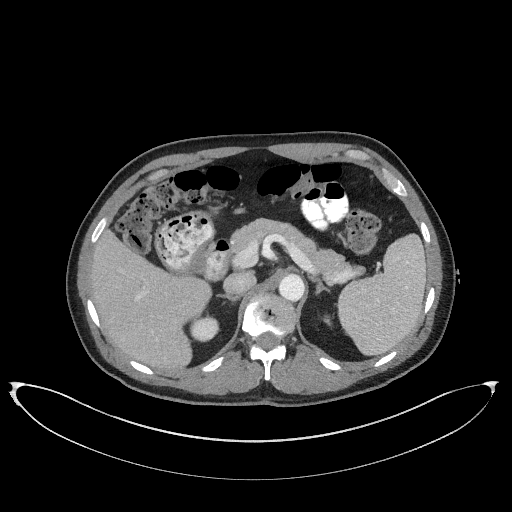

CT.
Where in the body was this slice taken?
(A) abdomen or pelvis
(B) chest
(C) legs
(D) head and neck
Answer: (A) abdomen or pelvis
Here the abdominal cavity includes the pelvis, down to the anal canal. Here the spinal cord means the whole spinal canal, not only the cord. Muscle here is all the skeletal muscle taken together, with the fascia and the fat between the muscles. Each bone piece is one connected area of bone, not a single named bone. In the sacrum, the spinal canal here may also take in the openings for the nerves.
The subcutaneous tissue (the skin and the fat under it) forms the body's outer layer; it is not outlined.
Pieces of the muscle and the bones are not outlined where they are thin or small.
{"muscle":[{"outer":[[214,395],[245,392],[265,380],[262,363],[251,360],[248,356],[251,340],[240,328],[205,362],[174,372],[153,370],[154,373],[148,375],[134,369],[128,362],[130,358],[109,339],[101,325],[98,328],[91,320],[86,309],[86,299],[91,298],[89,272],[95,243],[90,241],[90,235],[99,219],[107,216],[108,224],[118,208],[140,188],[217,158],[251,149],[267,149],[309,165],[336,162],[360,165],[370,169],[389,190],[380,173],[380,168],[386,167],[401,180],[408,191],[406,197],[396,195],[404,202],[418,226],[423,220],[430,231],[431,241],[425,243],[428,289],[430,286],[435,288],[435,298],[430,310],[426,314],[422,312],[413,331],[396,348],[397,354],[378,367],[373,366],[377,360],[354,363],[334,360],[294,329],[286,341],[286,358],[272,362],[270,383],[285,393],[335,391],[394,367],[418,350],[432,329],[441,291],[442,259],[430,219],[408,181],[378,153],[355,144],[302,142],[227,146],[169,154],[146,163],[127,178],[103,204],[85,234],[77,267],[78,294],[99,352],[107,362],[141,382]],"holes":[[[360,160],[368,160],[369,159],[370,159],[370,157],[369,156],[369,155],[365,152],[364,152],[361,150],[357,150],[356,149],[349,149],[348,150],[346,150],[344,152],[344,155],[345,155],[348,157],[351,157],[352,158],[354,158],[355,159],[359,159]],[[204,372],[206,372],[207,371],[211,371],[212,370],[214,370],[216,368],[217,368],[222,363],[222,361],[223,360],[224,357],[223,356],[220,356],[219,357],[218,357],[217,358],[216,358],[215,359],[212,360],[207,364],[204,365],[201,368],[201,370]],[[333,370],[338,370],[341,368],[341,366],[338,363],[336,363],[334,361],[333,361],[330,359],[328,359],[325,357],[323,357],[322,356],[321,356],[320,357],[319,357],[319,361],[325,367],[326,367],[329,369],[332,369]]]}],"torso":[[[280,407],[316,405],[379,389],[433,353],[446,329],[456,284],[451,243],[437,211],[391,148],[355,132],[315,130],[208,135],[163,143],[140,153],[106,183],[81,221],[71,245],[65,276],[66,300],[86,353],[102,371],[126,387],[151,397],[191,405]]],"bones":[{"outer":[[266,380],[270,377],[269,368],[271,362],[274,359],[280,360],[285,358],[285,341],[295,326],[296,313],[288,301],[279,295],[272,292],[260,291],[255,293],[246,305],[242,330],[252,340],[249,356],[251,359],[259,359],[263,363],[265,368],[264,378]],"hole":[[265,350],[268,350],[269,349],[276,346],[278,344],[279,344],[280,343],[280,339],[279,338],[279,337],[278,337],[276,335],[275,335],[271,332],[264,332],[260,335],[259,335],[256,338],[256,340],[255,341],[255,342],[258,346],[261,347]]},[[400,196],[406,196],[407,195],[407,191],[404,185],[400,181],[400,180],[399,180],[396,177],[395,177],[386,168],[384,167],[382,167],[381,168],[381,173],[388,187],[389,187],[390,189],[394,193]],[[360,160],[368,160],[369,159],[370,159],[370,157],[369,156],[369,155],[365,152],[364,152],[361,150],[357,150],[356,149],[349,149],[348,150],[346,150],[344,152],[344,155],[345,155],[348,157],[351,157],[352,158],[354,158],[355,159],[359,159]],[[92,242],[95,242],[96,241],[99,235],[101,233],[103,229],[106,226],[107,224],[107,217],[103,217],[101,218],[98,222],[98,223],[96,225],[96,226],[94,228],[92,232],[92,234],[91,235],[91,241]],[[98,327],[100,327],[100,323],[99,322],[99,319],[98,318],[97,313],[95,310],[95,307],[93,304],[93,302],[91,300],[91,299],[90,299],[89,298],[88,299],[87,299],[87,309],[89,312],[89,314],[90,315],[92,320],[94,322],[94,323]],[[204,372],[206,372],[207,371],[211,371],[212,370],[214,370],[216,368],[217,368],[222,363],[222,361],[223,360],[224,357],[223,356],[220,356],[219,357],[218,357],[217,358],[216,358],[215,359],[212,360],[207,364],[204,365],[201,368],[201,370]],[[333,370],[338,370],[341,368],[341,366],[338,363],[336,363],[334,361],[333,361],[330,359],[328,359],[325,357],[323,357],[322,356],[321,356],[320,357],[319,357],[319,361],[325,367],[326,367],[329,369],[332,369]],[[425,313],[426,313],[429,310],[429,309],[433,302],[433,299],[434,298],[434,288],[433,287],[430,287],[429,288],[429,289],[428,290],[428,292],[427,293],[427,295],[426,296],[426,299],[425,300],[425,303],[424,304],[424,310],[423,311]],[[148,374],[152,374],[153,373],[153,371],[150,368],[149,368],[147,366],[146,366],[139,362],[137,362],[134,360],[130,360],[130,361],[129,362],[130,363],[130,364],[134,368],[135,368],[139,371],[141,371],[142,372],[144,372],[145,373],[147,373]],[[426,243],[429,243],[429,242],[430,241],[430,235],[429,234],[429,231],[427,228],[427,226],[425,224],[425,223],[423,221],[421,221],[419,224],[419,227],[420,228],[420,231],[421,232],[421,233],[423,236],[423,238],[424,239],[424,241]],[[374,366],[378,366],[379,365],[380,365],[381,364],[383,364],[384,363],[387,362],[389,360],[390,360],[396,354],[396,350],[393,350],[391,352],[390,352],[389,353],[386,354],[384,356],[381,357],[377,361],[376,361],[374,363]]],"abdominal_cavity":[[[160,371],[191,367],[216,353],[241,329],[245,305],[260,290],[288,300],[297,313],[295,328],[334,359],[378,359],[395,349],[417,323],[427,292],[424,242],[403,202],[368,169],[303,165],[267,150],[217,159],[136,191],[96,242],[92,300],[110,339]]],"spinal_cord":[[[265,350],[268,350],[269,349],[276,346],[278,344],[279,344],[280,343],[280,339],[279,338],[279,337],[278,337],[276,335],[275,335],[271,332],[264,332],[260,335],[259,335],[256,338],[256,340],[255,341],[255,342],[258,346],[261,347]]]}